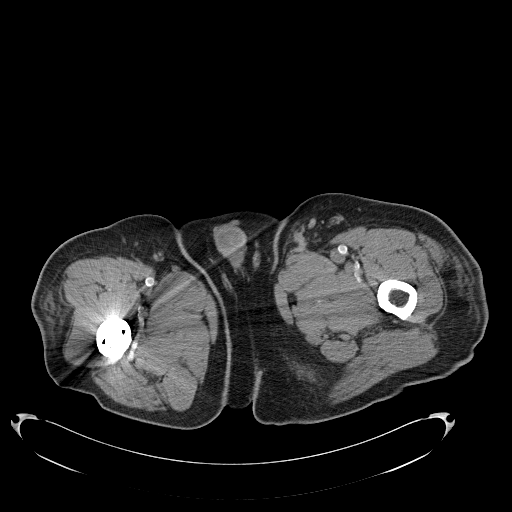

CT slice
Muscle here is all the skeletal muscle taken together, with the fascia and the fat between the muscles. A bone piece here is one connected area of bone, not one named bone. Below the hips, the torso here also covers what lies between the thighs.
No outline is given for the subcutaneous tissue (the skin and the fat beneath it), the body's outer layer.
Outlined structures:
left leg: (326, 192) (342, 192) (407, 204) (424, 209) (443, 220) (454, 231) (481, 268) (489, 313) (487, 325) (471, 360) (446, 377) (408, 386) (391, 398) (327, 421) (312, 424) (261, 424) (253, 416) (251, 403) (266, 343) (266, 298) (275, 260) (277, 231) (283, 218) (302, 201)
right leg: (137, 214) (160, 215) (175, 226) (179, 243) (193, 262) (210, 279) (225, 310) (230, 339) (227, 404) (213, 420) (198, 428) (187, 430) (169, 428) (115, 414) (103, 409) (90, 394) (56, 384) (45, 367) (41, 333) (31, 310) (32, 294) (44, 263) (50, 254) (69, 238)
torso: (238, 210) (265, 212) (282, 219) (274, 239) (274, 260) (268, 278) (265, 298) (265, 343) (261, 363) (253, 385) (251, 402) (250, 405) (243, 409) (232, 409) (227, 406) (231, 339) (226, 310) (211, 279) (206, 272) (194, 262) (191, 255) (180, 243) (176, 227) (193, 219)
muscle 1: (370, 224) (416, 229) (445, 248) (447, 263) (442, 280) (446, 287) (447, 304) (435, 325) (440, 350) (426, 363) (401, 370) (358, 395) (331, 405) (326, 401) (326, 394) (336, 378) (337, 369) (323, 360) (284, 320) (275, 301) (274, 282) (287, 255) (321, 248) (345, 229), around a hole outlined by (389, 278) (398, 279) (401, 281) (407, 282) (411, 284) (416, 289) (416, 291) (417, 292) (417, 302) (416, 303) (415, 308) (407, 319) (402, 320) (394, 314) (386, 312) (378, 305) (378, 302) (377, 301) (377, 296) (376, 295) (378, 286) (381, 282)
muscle 2: (95, 255) (120, 256) (157, 266) (182, 268) (207, 286) (218, 311) (218, 334) (204, 382) (192, 407) (181, 412) (150, 412) (122, 405) (108, 397) (82, 369) (72, 366) (64, 358) (63, 344) (72, 318) (72, 309) (63, 303) (60, 297) (60, 279) (70, 263) (79, 258), around a hole outlined by (109, 315) (118, 315) (119, 316) (121, 316) (128, 322) (131, 328) (132, 339) (133, 340) (130, 346) (124, 352) (122, 356) (119, 359) (113, 362) (109, 361) (104, 355) (99, 352) (97, 348) (97, 345) (96, 344) (96, 335) (95, 334) (102, 320) (103, 320) (104, 318)
bones 1: (109, 315) (118, 315) (119, 316) (121, 316) (128, 322) (131, 328) (132, 339) (133, 340) (130, 346) (124, 352) (122, 356) (119, 359) (113, 362) (109, 361) (104, 355) (99, 352) (97, 348) (97, 345) (96, 344) (96, 335) (95, 334) (102, 320) (103, 320) (104, 318)
bones 2: (389, 278) (398, 279) (401, 281) (407, 282) (411, 284) (416, 289) (416, 291) (417, 292) (417, 302) (416, 303) (415, 308) (407, 319) (402, 320) (394, 314) (386, 312) (378, 305) (378, 302) (377, 301) (377, 296) (376, 295) (378, 286) (381, 282)